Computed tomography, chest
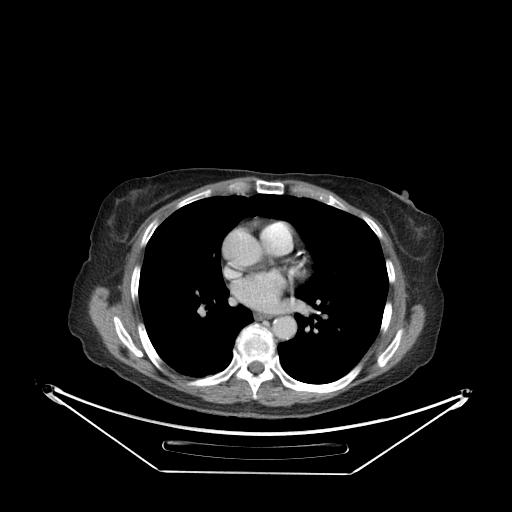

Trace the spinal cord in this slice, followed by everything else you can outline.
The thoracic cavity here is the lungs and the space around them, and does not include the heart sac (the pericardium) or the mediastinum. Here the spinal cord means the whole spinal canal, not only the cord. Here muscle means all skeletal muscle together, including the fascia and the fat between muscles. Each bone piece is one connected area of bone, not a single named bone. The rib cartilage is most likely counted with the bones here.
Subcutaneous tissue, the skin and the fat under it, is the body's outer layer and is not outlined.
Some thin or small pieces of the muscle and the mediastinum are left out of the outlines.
{"spinal_cord":[[[254,361],[258,361],[259,362],[260,362],[263,365],[263,369],[262,370],[262,371],[261,372],[260,372],[259,373],[253,373],[252,372],[251,372],[249,370],[249,369],[248,368],[248,367],[249,366],[249,365],[252,362],[253,362]]],"pericardium":[[[254,218],[273,218],[289,222],[299,234],[313,261],[310,274],[302,282],[296,285],[293,291],[289,295],[283,298],[277,304],[264,307],[248,307],[238,301],[230,290],[224,278],[222,270],[221,248],[222,242],[225,236],[242,222],[251,220]]],"bones":[{"outer":[[253,322],[271,332],[282,368],[296,380],[325,384],[344,376],[358,363],[362,363],[362,368],[342,388],[324,393],[285,387],[277,377],[260,384],[256,399],[252,397],[249,383],[234,375],[213,385],[188,385],[188,381],[222,371],[232,359],[239,332]],"hole":[[254,361],[258,361],[259,362],[260,362],[263,365],[263,369],[262,370],[262,371],[261,372],[260,372],[259,373],[253,373],[252,372],[251,372],[249,370],[249,369],[248,368],[248,367],[249,366],[249,365],[252,362],[253,362]]},[[295,185],[302,186],[306,188],[309,188],[312,190],[322,192],[328,195],[332,195],[336,199],[341,202],[348,209],[348,211],[345,211],[342,209],[329,205],[314,198],[303,196],[301,195],[300,193],[293,193],[290,191],[289,188],[291,186],[294,186]],[[139,322],[142,322],[144,324],[147,335],[153,347],[155,349],[158,355],[164,362],[161,364],[161,366],[163,370],[160,370],[157,368],[148,357],[147,354],[145,353],[145,351],[140,340],[139,334],[138,333],[138,330],[137,329],[137,325]],[[256,179],[262,179],[263,180],[266,180],[267,181],[280,181],[284,184],[285,186],[285,191],[284,193],[282,194],[275,194],[274,193],[259,193],[258,192],[256,192],[254,188],[254,183]],[[114,316],[117,316],[120,319],[124,328],[131,337],[131,339],[134,345],[143,353],[142,356],[139,357],[135,355],[122,342],[122,341],[119,338],[116,332],[116,330],[115,329],[115,325],[113,321],[113,317]],[[401,328],[403,329],[403,332],[401,335],[401,338],[400,339],[400,342],[399,343],[399,345],[398,347],[396,349],[396,350],[394,352],[392,356],[387,361],[387,362],[383,366],[381,367],[379,366],[377,364],[377,359],[378,357],[392,341],[397,331]],[[137,264],[139,264],[141,266],[140,268],[140,274],[139,275],[139,283],[138,284],[138,299],[135,302],[133,302],[132,300],[132,298],[131,297],[131,291],[130,290],[130,285],[131,284],[131,276],[132,275],[132,272],[133,271],[133,269],[135,265]],[[206,189],[211,189],[212,190],[212,195],[211,196],[209,197],[205,197],[204,198],[198,199],[195,201],[193,201],[190,203],[188,203],[177,209],[175,208],[176,205],[183,199],[189,196],[191,196],[194,194],[196,194],[201,191],[203,191]],[[238,181],[246,181],[247,182],[249,182],[249,183],[251,185],[251,187],[248,191],[247,191],[244,194],[241,194],[240,193],[235,193],[234,192],[231,193],[226,190],[226,186],[227,186],[231,183],[233,183],[234,182],[237,182]],[[386,301],[389,301],[391,302],[391,304],[392,305],[392,311],[391,312],[391,317],[389,321],[389,324],[388,325],[388,327],[386,331],[384,333],[382,333],[380,331],[380,326],[381,325],[381,321],[382,320],[383,311],[384,310],[384,307],[385,306]],[[155,218],[157,218],[159,220],[160,223],[154,230],[153,233],[151,235],[150,238],[148,240],[146,245],[144,247],[142,247],[140,245],[140,243],[141,242],[141,240],[142,239],[142,237],[143,236],[144,231],[145,230],[145,229],[147,227],[147,226]],[[362,215],[365,215],[366,216],[369,217],[372,220],[373,220],[374,221],[374,222],[378,226],[378,227],[380,229],[380,230],[382,233],[382,238],[381,239],[379,239],[379,238],[376,235],[376,234],[372,230],[372,229],[361,218],[361,216]],[[385,259],[389,259],[392,262],[392,264],[393,265],[393,267],[394,268],[394,272],[395,273],[395,279],[394,280],[394,281],[392,283],[389,283],[389,281],[388,280],[388,275],[387,274],[387,269],[386,268],[386,264],[385,263]]],"muscle":[{"outer":[[245,176],[259,178],[253,183],[255,192],[246,193],[252,187],[246,180],[226,185],[228,194],[213,195],[213,190],[206,188],[183,198],[161,222],[155,217],[144,229],[139,243],[144,248],[143,259],[141,265],[137,263],[132,269],[129,290],[132,302],[139,303],[142,321],[136,329],[150,361],[160,371],[165,363],[178,373],[195,378],[186,382],[188,386],[213,386],[234,376],[248,383],[253,400],[258,398],[261,384],[275,378],[285,388],[324,394],[342,389],[360,373],[360,360],[378,333],[384,334],[390,324],[393,305],[387,294],[389,284],[396,279],[393,262],[384,257],[380,243],[383,233],[373,219],[365,214],[359,217],[332,194],[309,187],[295,184],[288,189],[300,195],[285,193],[285,184],[276,180],[295,179],[335,193],[376,219],[389,235],[404,274],[408,303],[420,303],[426,312],[416,341],[393,367],[328,399],[268,406],[254,400],[206,401],[152,379],[110,353],[89,316],[88,300],[96,286],[108,288],[116,298],[120,295],[117,287],[122,282],[132,239],[141,224],[154,211],[190,191]],"holes":[[[114,316],[117,316],[120,319],[124,328],[131,337],[131,339],[134,345],[143,353],[142,356],[139,357],[135,355],[122,342],[122,341],[119,338],[116,332],[116,330],[115,329],[115,325],[113,321],[113,317]],[[401,328],[403,329],[403,332],[401,335],[401,338],[400,339],[400,342],[399,343],[399,345],[398,347],[396,349],[396,350],[394,352],[392,356],[387,361],[387,362],[383,366],[381,367],[379,366],[377,364],[377,359],[378,357],[392,341],[397,331]]]}],"mediastinum":[[[298,285],[294,291],[294,296],[300,301],[297,306],[297,310],[294,314],[295,320],[297,322],[296,333],[292,338],[286,341],[282,341],[277,345],[272,332],[260,323],[253,321],[254,319],[252,312],[248,308],[264,308],[277,305],[283,299],[289,296]],[[258,208],[262,212],[262,213],[263,214],[264,214],[266,216],[269,217],[254,217],[251,219],[248,219],[247,220],[242,221],[240,223],[239,223],[239,222],[240,222],[246,215],[249,215],[252,217],[254,217],[255,216],[256,216],[258,214]],[[224,279],[225,280],[225,281],[227,284],[227,286],[229,288],[229,290],[231,292],[231,293],[235,297],[235,298],[237,300],[237,301],[238,302],[241,303],[237,303],[236,304],[234,304],[234,302],[231,299],[230,299],[230,292],[224,282]],[[313,266],[313,271],[312,272],[312,273],[311,274],[311,275],[310,276],[310,277],[308,279],[307,279],[306,280],[306,281],[305,281],[302,284],[300,284],[301,283],[302,283],[311,274],[311,273],[312,272],[312,268],[313,267]]],"torso":[[[189,167],[333,173],[359,177],[395,192],[407,190],[419,209],[439,220],[444,232],[437,271],[444,311],[433,357],[403,382],[353,405],[283,419],[224,416],[183,408],[89,360],[69,331],[66,316],[73,280],[88,256],[89,235],[100,203],[124,180]]],"thoracic_cavity":[[[255,193],[314,199],[360,218],[379,240],[388,281],[379,331],[335,380],[305,382],[280,362],[277,346],[298,330],[295,291],[314,261],[289,221],[258,207],[221,242],[229,299],[253,319],[229,363],[182,374],[148,335],[139,284],[158,226],[198,200]]]}